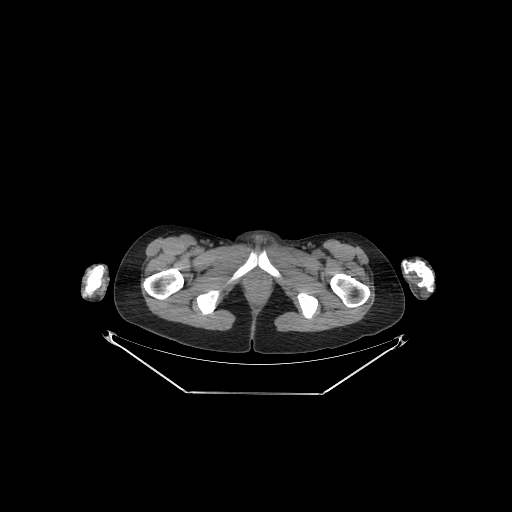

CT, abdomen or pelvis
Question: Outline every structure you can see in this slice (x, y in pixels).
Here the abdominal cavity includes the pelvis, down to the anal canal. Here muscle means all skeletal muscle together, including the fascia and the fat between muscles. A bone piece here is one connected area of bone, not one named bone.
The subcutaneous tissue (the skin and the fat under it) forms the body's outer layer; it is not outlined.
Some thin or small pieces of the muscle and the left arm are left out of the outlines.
Answer: Outlined structures:
right arm: (96, 262) (101, 262) (102, 263) (105, 263) (108, 266) (108, 268) (109, 269) (109, 283) (107, 286) (106, 293) (103, 299) (97, 302) (89, 302) (85, 300) (82, 297) (80, 293) (80, 282) (81, 281) (81, 277) (85, 269) (90, 264) (92, 263) (95, 263)
left arm: (411, 255) (418, 255) (429, 260) (429, 261) (431, 262) (432, 264) (433, 264) (433, 266) (435, 269) (435, 279) (437, 283) (437, 288) (436, 290) (427, 299) (425, 300) (419, 300) (412, 294) (408, 284) (405, 281) (401, 273) (400, 265) (402, 260) (405, 257) (410, 256)
abdominal cavity: (254, 269) (259, 269) (264, 271) (265, 272) (265, 274) (269, 279) (271, 280) (271, 289) (269, 290) (269, 293) (267, 294) (265, 299) (258, 307) (254, 307) (252, 302) (250, 301) (250, 299) (248, 297) (248, 294) (246, 292) (246, 290) (244, 289) (244, 280) (248, 274)
torso: (161, 224) (187, 226) (225, 238) (251, 229) (272, 230) (289, 239) (336, 231) (359, 233) (391, 263) (403, 288) (404, 313) (393, 326) (375, 335) (307, 353) (262, 354) (252, 349) (245, 353) (220, 353) (180, 344) (127, 322) (113, 300) (114, 279) (125, 252) (141, 234)
bones 1: (335, 273) (345, 273) (352, 277) (354, 277) (357, 280) (360, 281) (362, 283) (368, 286) (369, 290) (370, 291) (370, 294) (367, 300) (364, 303) (359, 306) (356, 306) (355, 307) (348, 307) (346, 306) (343, 303) (342, 300) (332, 290) (330, 287) (329, 281) (331, 277)
bones 2: (171, 267) (175, 267) (177, 268) (183, 275) (183, 277) (184, 278) (184, 283) (183, 284) (183, 286) (179, 290) (176, 292) (174, 292) (164, 299) (158, 299) (149, 295) (146, 292) (142, 284) (144, 279) (153, 273) (155, 273) (156, 272) (158, 272) (159, 271) (161, 271)
bones 3: (263, 249) (265, 250) (266, 254) (271, 263) (280, 273) (281, 275) (281, 277) (280, 278) (274, 277) (258, 266) (256, 266) (232, 282) (228, 283) (227, 284) (226, 283) (233, 274) (233, 273) (247, 259) (250, 252) (252, 250) (254, 250) (257, 253) (259, 253)
bones 4: (416, 259) (420, 259) (425, 262) (425, 263) (433, 271) (434, 274) (434, 287) (433, 288) (433, 291) (431, 292) (429, 292) (424, 286) (419, 287) (417, 285) (421, 279) (413, 270) (410, 271) (408, 273) (405, 273) (404, 272) (402, 262) (403, 261) (412, 261)
bones 5: (99, 264) (102, 265) (104, 267) (104, 272) (101, 278) (101, 284) (100, 286) (93, 292) (91, 296) (83, 296) (82, 295) (82, 293) (83, 292) (83, 290) (85, 286) (85, 281) (86, 280) (86, 272) (88, 269) (90, 269) (94, 266) (96, 265) (98, 265)
bones 6: (212, 289) (214, 290) (220, 289) (220, 293) (219, 294) (219, 296) (216, 302) (216, 307) (211, 313) (209, 313) (208, 314) (203, 314) (201, 312) (201, 311) (199, 309) (197, 305) (197, 302) (196, 301) (196, 297) (199, 294) (205, 293) (209, 290) (211, 290)
bones 7: (300, 292) (305, 292) (310, 295) (312, 295) (313, 296) (314, 296) (318, 300) (318, 305) (317, 306) (317, 308) (311, 318) (306, 318) (305, 317) (304, 317) (304, 316) (302, 314) (302, 312) (301, 311) (301, 308) (300, 307) (299, 302) (297, 299) (297, 294)
muscle 1: (183, 233) (192, 235) (199, 243) (212, 248) (260, 241) (298, 248) (311, 253) (324, 241) (331, 238) (358, 245) (369, 259) (375, 286) (375, 300) (364, 317) (352, 324) (314, 332) (278, 331) (273, 323) (274, 319) (294, 308) (291, 299) (281, 287) (275, 282) (273, 283) (274, 287) (267, 302) (254, 317) (241, 285) (237, 284) (221, 303) (223, 308) (236, 317) (229, 330) (208, 330) (162, 319) (148, 309) (139, 287) (145, 248) (148, 243) (157, 237); inner edges: (263, 249) (265, 250) (271, 263) (280, 273) (281, 277) (277, 278) (267, 272) (265, 273) (271, 280) (271, 289) (262, 303) (258, 307) (254, 307) (246, 290) (244, 289) (244, 280) (248, 275) (248, 272) (232, 282) (226, 283) (233, 273) (247, 259) (252, 250) (259, 253), then (335, 273) (345, 273) (352, 277) (354, 277) (357, 280) (360, 281) (362, 283) (368, 286) (369, 290) (370, 291) (370, 294) (367, 300) (364, 303) (359, 306) (356, 306) (355, 307) (348, 307) (346, 306) (343, 303) (342, 300) (332, 290) (330, 287) (329, 281) (331, 277), then (171, 267) (175, 267) (177, 268) (183, 275) (183, 277) (184, 278) (184, 283) (183, 284) (183, 286) (179, 290) (176, 292) (174, 292) (164, 299) (158, 299) (149, 295) (146, 292) (142, 284) (144, 279) (153, 273) (155, 273) (156, 272) (158, 272) (159, 271) (161, 271), then (212, 289) (214, 290) (220, 289) (220, 293) (219, 294) (219, 296) (216, 302) (216, 307) (211, 313) (209, 313) (208, 314) (203, 314) (201, 312) (201, 311) (199, 309) (197, 305) (197, 302) (196, 301) (196, 297) (199, 294) (205, 293) (209, 290) (211, 290), then (300, 292) (305, 292) (310, 295) (312, 295) (313, 296) (314, 296) (318, 300) (318, 305) (317, 306) (317, 308) (311, 318) (306, 318) (305, 317) (304, 317) (304, 316) (302, 314) (302, 312) (301, 311) (301, 308) (300, 307) (299, 302) (297, 299) (297, 294)
muscle 2: (105, 271) (105, 282) (104, 283) (104, 285) (103, 286) (103, 288) (102, 289) (101, 294) (100, 294) (97, 297) (96, 297) (95, 298) (88, 297) (91, 297) (93, 295) (94, 292) (101, 286) (101, 285) (102, 284) (102, 278) (104, 275) (104, 273) (105, 272)
muscle 3: (413, 271) (416, 274) (416, 275) (420, 279) (420, 280) (416, 284) (416, 285) (416, 284) (415, 283) (414, 283) (410, 279) (410, 278) (408, 276) (408, 274) (410, 272) (412, 272)
muscle 4: (423, 287) (424, 287) (425, 288) (426, 289) (426, 290) (427, 291) (427, 292) (427, 293) (426, 293) (425, 294) (424, 295) (423, 295) (422, 295) (422, 294) (421, 293) (421, 292) (420, 291) (420, 290) (420, 289) (419, 288) (420, 288) (421, 288) (422, 288)